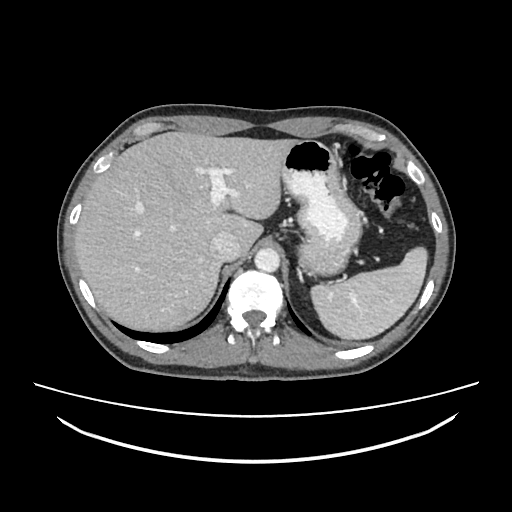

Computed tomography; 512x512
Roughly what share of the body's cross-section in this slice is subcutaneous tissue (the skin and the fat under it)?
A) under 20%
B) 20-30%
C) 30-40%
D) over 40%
Answer: A) under 20%
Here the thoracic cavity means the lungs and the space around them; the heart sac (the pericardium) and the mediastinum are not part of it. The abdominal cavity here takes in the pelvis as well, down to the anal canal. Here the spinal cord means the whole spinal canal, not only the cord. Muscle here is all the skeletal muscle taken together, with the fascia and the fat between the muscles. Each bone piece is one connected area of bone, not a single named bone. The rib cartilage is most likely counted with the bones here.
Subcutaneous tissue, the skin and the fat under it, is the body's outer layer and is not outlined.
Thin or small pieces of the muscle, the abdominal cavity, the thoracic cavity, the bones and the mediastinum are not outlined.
{"mediastinum":[[[230,286],[234,280],[241,273],[250,269],[259,270],[270,275],[272,275],[276,277],[279,280],[280,283],[283,285],[281,262],[280,261],[280,257],[278,255],[276,250],[274,248],[272,248],[269,246],[260,247],[255,250],[229,277],[231,280]]],"bones":[{"outer":[[253,347],[256,340],[263,334],[272,334],[273,344],[279,343],[279,337],[273,332],[273,329],[284,304],[284,295],[283,286],[276,278],[250,270],[241,274],[229,288],[225,298],[227,303],[225,311],[230,317],[229,323],[234,332],[244,334],[251,341]],"hole":[[253,327],[256,327],[258,325],[258,324],[264,318],[265,315],[262,312],[260,312],[259,311],[251,311],[250,312],[247,312],[246,313],[245,313],[243,315],[244,318],[249,323],[250,326],[252,326]]},[[372,141],[382,141],[384,140],[386,137],[385,134],[381,134],[380,133],[377,133],[373,130],[371,130],[367,128],[364,128],[360,126],[354,126],[351,124],[338,124],[336,125],[334,128],[335,130],[346,130],[351,133],[359,135],[366,139],[368,139]],[[343,360],[349,360],[350,359],[354,359],[355,358],[363,356],[372,351],[374,347],[372,345],[368,344],[361,347],[357,347],[356,348],[353,348],[352,349],[347,349],[346,350],[340,350],[339,351],[336,351],[334,355],[337,358],[339,358]],[[159,354],[161,353],[164,353],[165,352],[167,352],[170,349],[168,345],[164,345],[163,344],[159,344],[158,343],[152,343],[151,342],[148,342],[147,341],[143,341],[142,340],[134,340],[134,342],[139,347],[149,352],[152,352],[153,353],[158,353]],[[417,185],[422,185],[424,183],[424,181],[425,180],[424,179],[424,177],[423,176],[423,175],[422,174],[422,173],[421,172],[421,171],[419,169],[419,168],[411,160],[408,160],[407,161],[407,162],[406,163],[406,173],[408,175],[408,176]],[[96,174],[98,174],[99,173],[101,173],[103,171],[104,171],[109,167],[109,166],[111,163],[111,161],[112,160],[112,158],[113,157],[113,152],[112,151],[109,152],[106,155],[100,157],[96,161],[96,162],[94,164],[94,165],[93,166],[93,172]],[[418,309],[421,309],[424,306],[424,305],[429,299],[429,298],[433,291],[433,288],[434,287],[434,282],[433,281],[433,280],[432,280],[431,279],[430,280],[429,280],[427,282],[427,283],[422,292],[422,294],[419,299],[419,303],[418,304]],[[94,309],[96,309],[96,304],[93,299],[93,296],[91,294],[91,292],[90,291],[90,290],[89,289],[87,284],[84,281],[84,280],[81,278],[79,280],[79,287],[80,288],[80,290],[82,293],[82,295],[84,297],[84,298],[86,300],[86,301]],[[136,134],[141,134],[142,133],[145,133],[149,131],[152,131],[156,129],[161,125],[159,123],[155,123],[154,122],[152,123],[148,123],[147,124],[145,124],[142,126],[140,126],[136,128],[134,130],[133,132]],[[436,233],[440,233],[442,231],[442,226],[441,225],[441,221],[440,220],[440,219],[439,218],[439,217],[438,216],[438,215],[434,211],[433,211],[431,213],[431,224],[432,225],[432,228],[433,229],[433,230]],[[72,225],[75,225],[77,223],[77,221],[78,220],[78,218],[79,217],[79,214],[81,211],[81,204],[80,203],[78,203],[72,209],[72,210],[71,211],[71,213],[70,214],[70,216],[69,217],[69,222],[70,223],[70,224],[71,224]]],"abdominal_cavity":[[[346,345],[375,340],[397,325],[418,301],[432,264],[433,231],[421,194],[388,149],[333,133],[255,139],[176,132],[130,146],[94,180],[75,250],[82,278],[108,319],[142,332],[187,329],[209,312],[232,272],[269,245],[281,257],[297,317],[320,340]]],"torso":[[[248,382],[312,380],[365,372],[403,348],[441,303],[455,262],[452,213],[427,161],[408,137],[386,118],[367,110],[335,105],[256,109],[205,103],[162,104],[140,110],[122,121],[74,174],[58,214],[57,259],[68,293],[98,343],[121,364],[138,372]]],"spinal_cord":[[[253,327],[256,327],[258,325],[258,324],[264,318],[265,315],[262,312],[260,312],[259,311],[251,311],[250,312],[247,312],[246,313],[245,313],[243,315],[244,318],[249,323],[250,326],[252,326]]],"muscle":[{"outer":[[289,370],[335,369],[336,368],[345,368],[350,366],[354,366],[364,360],[377,355],[385,349],[388,348],[392,344],[394,344],[403,338],[415,326],[421,317],[429,308],[439,291],[445,274],[448,253],[449,252],[449,243],[448,242],[447,223],[435,188],[424,168],[405,145],[397,137],[389,131],[379,126],[373,125],[366,122],[362,122],[346,118],[341,118],[340,117],[306,116],[305,117],[287,118],[278,121],[274,121],[270,123],[252,123],[241,119],[229,118],[228,117],[219,117],[218,116],[210,116],[209,115],[171,115],[170,116],[150,116],[133,123],[110,142],[89,165],[72,196],[65,214],[64,225],[63,226],[63,250],[64,251],[65,265],[68,270],[71,281],[73,284],[77,296],[81,302],[81,304],[87,315],[97,329],[109,341],[124,352],[134,356],[140,357],[145,361],[152,364],[185,365],[186,366],[193,366],[199,368],[218,368],[219,367],[226,367],[227,366],[234,366],[235,365],[243,365],[244,367],[251,367],[256,365],[262,365],[263,366],[269,366],[276,368],[285,368]],"holes":[[[159,354],[202,332],[224,300],[232,329],[253,347],[263,334],[279,343],[273,329],[285,295],[304,333],[346,345],[381,337],[418,301],[421,309],[434,287],[427,280],[433,232],[442,226],[434,211],[428,223],[417,187],[425,180],[419,168],[408,160],[406,173],[400,172],[394,153],[345,135],[304,138],[266,128],[152,136],[113,162],[112,151],[100,157],[93,166],[96,179],[69,217],[76,226],[79,287],[118,330]],[[372,141],[382,141],[384,140],[386,137],[385,134],[381,134],[380,133],[377,133],[373,130],[371,130],[367,128],[364,128],[360,126],[354,126],[351,124],[338,124],[336,125],[334,128],[335,130],[346,130],[351,133],[359,135],[366,139],[368,139]],[[343,360],[349,360],[350,359],[354,359],[355,358],[363,356],[372,351],[374,347],[372,345],[368,344],[361,347],[357,347],[356,348],[353,348],[352,349],[347,349],[346,350],[340,350],[339,351],[336,351],[334,355],[337,358],[339,358]],[[136,134],[141,134],[142,133],[145,133],[149,131],[152,131],[156,129],[161,125],[159,123],[155,123],[154,122],[152,123],[148,123],[147,124],[145,124],[142,126],[140,126],[136,128],[134,130],[133,132]],[[232,344],[233,343],[234,343],[234,338],[233,337],[233,333],[230,333],[228,335],[228,338],[227,339],[228,340],[228,342],[229,343],[231,343]]]}],"thoracic_cavity":[[[164,344],[170,344],[175,342],[179,342],[188,339],[202,332],[217,316],[228,290],[230,280],[228,279],[223,291],[211,308],[210,312],[191,328],[182,332],[175,334],[142,333],[141,332],[133,331],[123,326],[111,322],[118,330],[131,338],[142,339]],[[314,337],[315,337],[313,336],[310,333],[310,332],[300,322],[300,321],[296,317],[296,316],[290,308],[289,305],[289,311],[291,314],[291,316],[293,318],[297,326],[304,333],[308,335],[313,336]]]}